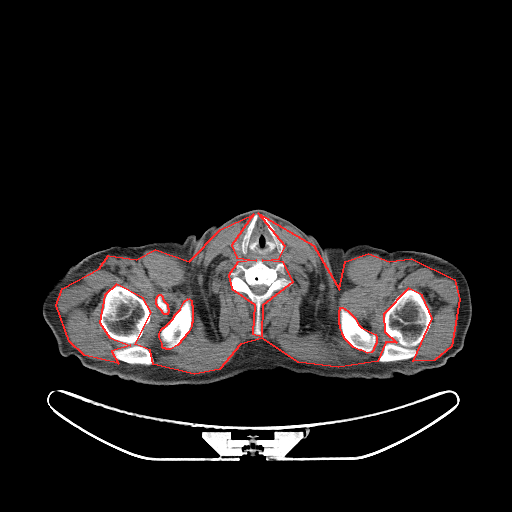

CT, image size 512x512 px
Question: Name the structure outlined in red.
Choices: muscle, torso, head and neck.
Answer: red: muscle.
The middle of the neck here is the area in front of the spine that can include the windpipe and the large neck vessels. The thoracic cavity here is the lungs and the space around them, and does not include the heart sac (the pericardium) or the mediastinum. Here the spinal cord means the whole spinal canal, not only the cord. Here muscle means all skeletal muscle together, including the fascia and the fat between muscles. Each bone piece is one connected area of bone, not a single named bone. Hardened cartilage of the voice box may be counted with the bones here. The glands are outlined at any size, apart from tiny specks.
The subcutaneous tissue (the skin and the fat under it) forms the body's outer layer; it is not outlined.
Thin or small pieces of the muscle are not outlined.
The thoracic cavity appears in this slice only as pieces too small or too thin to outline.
Outlined structures:
muscle: [[258,213],[313,245],[339,289],[345,261],[368,253],[389,261],[411,258],[454,279],[459,299],[451,346],[434,360],[413,361],[432,318],[422,295],[408,288],[383,314],[384,331],[396,342],[385,342],[377,361],[338,367],[298,362],[262,338],[240,344],[219,369],[194,374],[153,364],[150,350],[135,344],[151,312],[143,298],[116,284],[104,295],[99,322],[109,337],[130,345],[111,351],[118,363],[84,355],[69,341],[56,305],[62,288],[99,268],[108,255],[136,259],[155,249],[189,261],[220,229],[253,214],[231,245],[236,257],[256,260],[237,262],[228,275],[231,288],[254,304],[252,333],[262,336],[263,304],[293,281],[283,262],[262,260],[279,258],[285,246]], around holes outlined by [[188,298],[191,300],[191,304],[192,305],[192,322],[191,323],[191,326],[188,332],[177,345],[170,349],[166,349],[165,348],[163,348],[162,347],[162,343],[159,337],[159,333],[161,329],[163,327],[164,327],[172,319],[175,314],[180,309],[184,301]] and by [[340,307],[342,307],[347,310],[354,317],[358,324],[361,327],[375,334],[376,336],[376,343],[373,348],[373,350],[371,352],[367,353],[361,350],[359,350],[353,347],[345,339],[342,334],[342,332],[340,328],[340,325],[339,324],[339,310],[340,309]] and by [[159,294],[160,294],[162,296],[162,298],[163,299],[163,300],[167,304],[167,307],[168,308],[168,312],[167,313],[167,314],[164,314],[162,312],[162,311],[157,306],[157,305],[156,304],[156,298],[157,297],[157,296]]
left arm: [[396,250],[422,251],[444,258],[458,267],[464,274],[468,282],[472,303],[472,317],[465,337],[464,345],[463,348],[454,356],[448,358],[443,365],[438,364],[395,344],[389,343],[386,340],[378,324],[378,315],[382,292],[385,262],[389,252]]
thyroid glands: [[234,242],[235,242],[236,242],[237,242],[237,243],[238,244],[238,245],[238,246],[238,247],[238,248],[238,249],[237,250],[236,249],[235,249],[234,248],[233,247],[233,246],[232,245],[232,244],[233,243]]
right arm: [[111,246],[124,247],[132,246],[147,274],[147,279],[156,315],[150,330],[144,342],[141,345],[123,350],[91,362],[86,366],[84,366],[75,356],[71,355],[65,357],[59,352],[56,340],[42,315],[42,302],[47,291],[52,284],[72,265],[94,252]]
spinal cord: [[254,285],[265,285],[266,286],[267,286],[268,287],[267,288],[267,289],[266,290],[266,291],[264,293],[263,293],[262,294],[256,294],[255,293],[254,293],[253,292],[253,291],[251,289],[251,288],[250,287],[251,286],[253,286]]
middle of the neck: [[258,218],[261,218],[271,235],[274,241],[273,246],[274,247],[275,246],[277,248],[277,251],[280,254],[282,253],[279,257],[264,258],[263,259],[250,259],[235,255],[236,250],[237,251],[239,249],[243,254],[245,254],[247,252],[249,239]]
torso: [[192,233],[200,318],[253,364],[263,363],[295,339],[320,311],[330,280],[325,246],[369,244],[389,251],[377,315],[385,340],[442,366],[371,379],[324,377],[279,367],[199,385],[146,384],[86,367],[141,346],[155,321],[148,274],[133,246],[182,242]]
head and neck: [[252,209],[267,210],[288,220],[300,229],[313,235],[320,245],[325,247],[327,266],[329,271],[327,295],[320,307],[319,311],[295,338],[259,364],[253,363],[231,349],[202,320],[193,241],[193,233],[197,237],[199,237],[212,225],[219,225],[238,214]]
bones 1: [[116,285],[124,286],[132,291],[144,300],[149,309],[150,320],[144,326],[141,336],[134,344],[142,345],[149,350],[153,357],[153,363],[151,365],[130,364],[115,358],[111,353],[114,349],[121,349],[131,345],[109,336],[100,322],[105,295]]
bones 2: [[408,289],[413,289],[421,295],[430,314],[431,324],[423,339],[414,347],[416,354],[413,357],[392,362],[379,362],[378,358],[383,352],[384,344],[388,342],[397,342],[394,338],[390,338],[385,331],[383,325],[384,314],[390,307],[394,299],[400,293]]
bones 3: [[257,260],[261,260],[270,267],[280,262],[283,263],[285,273],[283,275],[292,281],[291,285],[276,290],[262,304],[260,310],[262,335],[253,333],[256,318],[255,304],[244,292],[235,291],[232,288],[229,275],[229,272],[236,269],[237,263],[248,267]]; inner edge: [[254,285],[265,285],[266,286],[267,286],[268,287],[267,288],[267,289],[266,290],[266,291],[264,293],[263,293],[262,294],[256,294],[255,293],[254,293],[253,292],[253,291],[251,289],[251,288],[250,287],[251,286],[253,286]]
bones 4: [[188,298],[191,300],[191,304],[192,305],[192,322],[191,323],[191,326],[188,332],[177,345],[170,349],[166,349],[165,348],[163,348],[162,347],[162,343],[159,337],[159,333],[161,329],[163,327],[164,327],[172,319],[175,314],[180,309],[184,301]]
bones 5: [[340,307],[342,307],[347,310],[354,317],[358,324],[361,327],[375,334],[376,336],[376,343],[373,348],[373,350],[371,352],[367,353],[361,350],[359,350],[353,347],[345,339],[342,334],[342,332],[340,328],[340,325],[339,324],[339,310],[340,309]]
bones 6: [[255,214],[256,214],[258,216],[258,217],[254,224],[253,228],[251,230],[251,233],[249,236],[248,242],[247,243],[246,252],[245,253],[243,253],[239,248],[239,247],[243,239],[243,236],[245,234],[245,232],[249,224],[251,222],[253,216]]
bones 7: [[263,216],[265,216],[267,218],[268,221],[273,227],[279,240],[283,244],[284,246],[283,251],[280,253],[278,251],[278,248],[275,245],[274,246],[275,244],[275,241],[272,235],[270,233],[266,224],[263,221],[262,219],[262,217]]
bones 8: [[159,294],[160,294],[162,296],[162,298],[163,299],[163,300],[167,304],[167,307],[168,308],[168,312],[167,313],[167,314],[164,314],[162,312],[162,311],[157,306],[157,305],[156,304],[156,298],[157,297],[157,296]]